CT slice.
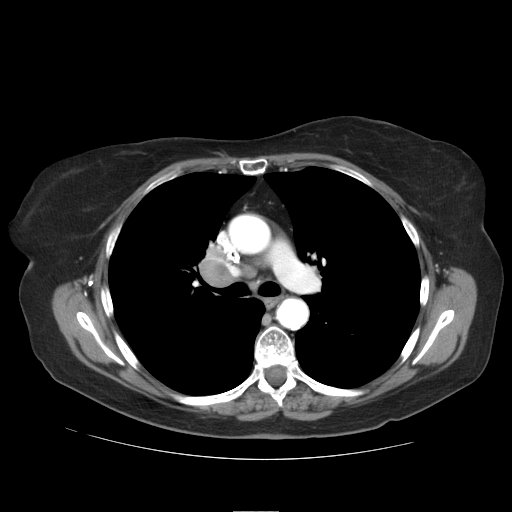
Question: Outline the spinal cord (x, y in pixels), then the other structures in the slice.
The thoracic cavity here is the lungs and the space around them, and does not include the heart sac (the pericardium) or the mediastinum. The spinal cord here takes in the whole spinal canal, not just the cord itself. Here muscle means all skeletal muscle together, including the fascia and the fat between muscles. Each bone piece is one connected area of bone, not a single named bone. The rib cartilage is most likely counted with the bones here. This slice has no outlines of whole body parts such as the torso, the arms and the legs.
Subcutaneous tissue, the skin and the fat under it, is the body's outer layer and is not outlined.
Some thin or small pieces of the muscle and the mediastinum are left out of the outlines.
Answer: The spinal cord is outlined by [[276,365],[280,365],[281,366],[282,366],[285,369],[285,379],[284,380],[284,381],[281,384],[280,384],[277,386],[274,386],[268,382],[268,381],[266,378],[266,370],[268,368],[269,368],[272,366],[275,366]]. The muscle is outlined by [[289,152],[317,152],[340,157],[357,165],[378,179],[383,181],[397,192],[407,204],[417,210],[418,213],[411,212],[410,215],[412,220],[421,232],[422,237],[432,256],[433,261],[439,266],[444,268],[447,268],[449,266],[456,266],[463,268],[473,276],[477,286],[477,300],[475,311],[468,331],[465,345],[459,356],[452,363],[437,373],[427,378],[419,380],[394,393],[391,394],[390,393],[386,396],[381,396],[373,401],[351,407],[345,410],[334,411],[329,415],[319,419],[310,421],[291,419],[284,416],[281,412],[279,412],[277,414],[274,414],[267,418],[257,421],[242,421],[231,416],[224,418],[210,417],[167,406],[139,392],[134,391],[95,371],[81,362],[73,354],[64,336],[60,331],[54,317],[51,307],[52,294],[54,289],[59,284],[78,278],[82,278],[85,276],[89,276],[91,274],[94,270],[97,258],[97,250],[107,228],[106,226],[104,226],[102,228],[98,229],[98,227],[124,199],[149,177],[169,164],[176,161],[198,157],[219,157],[220,156],[255,157],[261,155]] with holes at [[261,157],[268,161],[268,170],[295,170],[307,166],[327,168],[331,163],[351,168],[372,183],[373,189],[399,217],[403,214],[413,224],[419,238],[419,246],[415,250],[420,276],[427,275],[429,279],[427,301],[419,307],[412,328],[418,326],[419,335],[404,362],[399,364],[397,358],[385,371],[360,386],[367,389],[362,395],[326,395],[299,382],[279,406],[268,393],[260,391],[254,384],[229,401],[203,406],[182,404],[167,394],[175,391],[143,365],[138,370],[130,365],[116,343],[113,330],[123,335],[115,317],[106,315],[100,295],[101,287],[109,285],[108,235],[119,221],[124,223],[142,199],[146,187],[163,174],[177,168],[183,175],[200,171],[239,173],[239,160]] and at [[447,309],[452,309],[454,311],[454,315],[452,320],[448,324],[444,326],[438,332],[433,342],[425,353],[420,358],[420,359],[419,359],[418,361],[413,365],[412,364],[413,359],[420,352],[424,346],[432,329],[434,327],[438,319],[438,317],[443,311]] and at [[79,311],[82,311],[84,312],[90,318],[96,331],[98,333],[102,341],[114,354],[115,354],[119,358],[120,358],[124,361],[124,364],[123,365],[119,364],[112,358],[109,357],[97,343],[94,336],[88,330],[83,328],[80,325],[76,317],[76,313]]. The thoracic cavity appears in 2 outlined pieces: piece 1: [[200,171],[233,172],[255,177],[251,187],[228,209],[216,238],[217,253],[226,271],[262,302],[264,312],[254,341],[254,363],[248,376],[236,386],[219,393],[189,395],[175,391],[152,375],[124,339],[114,316],[108,270],[123,224],[142,198],[168,181]]; piece 2: [[307,166],[329,168],[375,190],[399,217],[417,255],[421,277],[419,309],[412,330],[395,361],[359,387],[344,388],[316,380],[300,367],[295,352],[296,332],[310,318],[310,308],[303,298],[305,266],[298,256],[288,209],[264,174],[270,169],[295,170]]. The bones appear in 12 outlined pieces: piece 1: [[272,325],[282,329],[294,342],[298,365],[308,376],[338,388],[367,389],[364,394],[331,396],[316,392],[301,382],[285,395],[282,406],[254,384],[237,398],[203,406],[182,404],[167,394],[176,392],[207,396],[236,387],[253,369],[254,345],[258,334]] with a hole at [[276,365],[280,365],[281,366],[282,366],[285,369],[285,379],[284,380],[284,381],[281,384],[280,384],[277,386],[274,386],[268,382],[268,381],[266,378],[266,370],[268,368],[269,368],[272,366],[275,366]]; piece 2: [[447,309],[452,309],[454,311],[454,315],[452,320],[448,324],[444,326],[438,332],[433,342],[425,353],[420,358],[420,359],[419,359],[418,361],[413,365],[412,364],[413,359],[420,352],[424,346],[432,329],[434,327],[438,319],[438,317],[443,311]]; piece 3: [[79,311],[82,311],[84,312],[90,318],[96,331],[98,333],[102,341],[114,354],[115,354],[119,358],[120,358],[124,361],[124,364],[123,365],[119,364],[112,358],[109,357],[97,343],[94,336],[88,330],[83,328],[80,325],[76,317],[76,313]]; piece 4: [[261,157],[265,158],[268,161],[268,163],[269,164],[266,171],[264,173],[261,173],[260,174],[257,174],[256,175],[248,175],[247,174],[243,174],[241,172],[240,172],[238,168],[238,165],[237,164],[239,160],[241,159],[255,159],[256,158],[260,158]]; piece 5: [[113,330],[115,330],[123,338],[123,339],[126,342],[126,343],[128,345],[130,349],[133,352],[133,353],[141,364],[141,366],[138,370],[135,369],[125,360],[122,353],[120,351],[116,343],[116,341],[114,338],[114,335],[113,334]]; piece 6: [[331,163],[344,165],[349,168],[351,168],[359,172],[366,178],[367,178],[372,183],[373,185],[373,188],[367,185],[365,183],[345,173],[340,172],[337,170],[335,170],[334,169],[332,169],[328,167],[327,166],[328,164],[330,164]]; piece 7: [[418,326],[420,328],[420,330],[419,331],[419,335],[417,338],[415,345],[413,349],[411,351],[410,354],[404,361],[404,362],[403,362],[401,364],[399,364],[399,359],[398,358],[400,355],[400,353],[403,347],[405,345],[408,338],[410,336],[412,331]]; piece 8: [[177,168],[179,168],[181,169],[182,171],[182,174],[156,186],[154,188],[150,190],[145,195],[142,196],[142,193],[143,191],[150,183],[151,183],[154,180],[155,180],[158,177],[161,176],[163,174],[173,169],[176,169]]; piece 9: [[121,220],[122,221],[122,226],[120,229],[120,231],[116,239],[116,241],[113,247],[113,249],[112,250],[111,255],[109,259],[107,259],[106,257],[106,242],[108,238],[108,235],[109,234],[109,232],[110,230],[119,221]]; piece 10: [[104,284],[108,286],[109,292],[110,293],[110,296],[111,297],[111,301],[113,305],[113,316],[111,317],[108,317],[106,315],[105,311],[104,310],[104,308],[103,307],[103,305],[102,304],[102,302],[101,301],[100,290],[101,289],[101,287]]; piece 11: [[401,214],[403,214],[413,224],[413,225],[416,229],[416,231],[417,232],[417,234],[418,235],[418,237],[419,238],[419,246],[417,248],[416,248],[413,244],[413,243],[410,239],[410,238],[409,237],[406,230],[404,228],[404,226],[400,219],[400,215]]; piece 12: [[424,275],[427,275],[427,276],[428,277],[428,278],[429,279],[429,291],[428,292],[428,296],[427,297],[427,301],[426,302],[426,303],[425,304],[425,305],[424,306],[420,306],[420,302],[419,301],[419,299],[420,298],[420,287],[421,286],[421,278]]. The mediastinum is outlined by [[261,174],[287,209],[297,256],[304,266],[302,298],[309,308],[309,318],[305,325],[295,332],[294,340],[275,324],[260,331],[265,312],[263,302],[227,271],[218,253],[217,236],[223,220],[234,202],[252,187],[256,181],[255,176]].